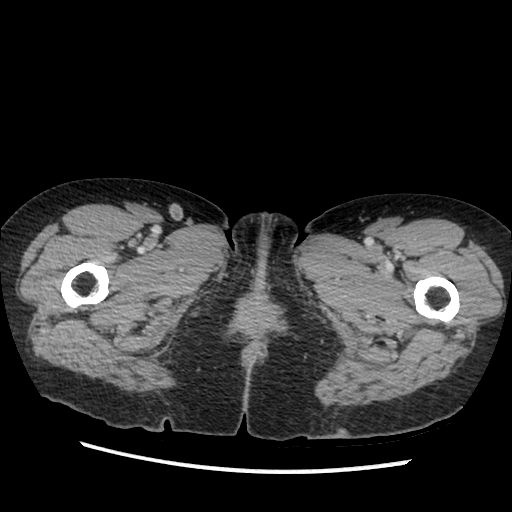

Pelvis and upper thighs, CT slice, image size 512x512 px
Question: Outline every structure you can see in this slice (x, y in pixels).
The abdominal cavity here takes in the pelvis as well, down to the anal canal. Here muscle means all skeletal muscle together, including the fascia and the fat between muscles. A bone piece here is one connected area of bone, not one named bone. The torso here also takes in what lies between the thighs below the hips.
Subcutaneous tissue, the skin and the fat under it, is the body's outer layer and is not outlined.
Answer: {"torso":[[[260,210],[277,211],[290,216],[298,227],[296,241],[298,244],[292,257],[272,271],[267,280],[265,292],[276,308],[277,323],[263,340],[256,364],[249,372],[249,340],[238,323],[238,305],[252,293],[253,278],[232,242],[229,224],[231,226],[243,214]]],"abdominal_cavity":[[[256,341],[258,341],[260,342],[262,346],[264,348],[264,355],[263,357],[261,358],[261,359],[260,359],[258,361],[256,361],[255,363],[248,363],[244,361],[244,358],[243,357],[243,350],[245,348],[247,344],[251,342],[255,342]]],"bones":[[[84,261],[88,261],[89,262],[96,263],[98,265],[101,265],[103,267],[106,268],[108,277],[109,278],[109,284],[108,285],[109,293],[102,301],[96,304],[82,304],[76,308],[72,308],[66,304],[61,295],[60,292],[61,281],[65,273],[70,268]],[[437,274],[440,274],[444,276],[452,282],[458,290],[459,293],[460,306],[457,313],[449,323],[445,323],[440,320],[434,318],[428,318],[419,314],[415,310],[415,304],[413,298],[413,291],[416,282],[418,280],[424,278],[428,275],[436,275]]],"left_leg":[[[386,193],[456,198],[483,209],[510,230],[511,280],[505,313],[477,384],[454,415],[404,433],[365,438],[297,437],[283,441],[250,435],[245,419],[249,373],[257,364],[264,340],[278,323],[277,308],[266,292],[271,273],[293,257],[309,221],[338,204]]],"muscle":[{"outer":[[104,199],[157,202],[183,225],[211,224],[221,233],[228,253],[226,271],[217,289],[189,316],[175,340],[175,364],[171,367],[179,383],[163,389],[161,394],[128,393],[110,383],[35,359],[24,350],[30,312],[15,293],[22,252],[59,211],[74,203]],"hole":[[84,261],[88,261],[89,262],[96,263],[98,265],[101,265],[103,267],[106,268],[108,277],[109,278],[109,284],[108,285],[109,293],[102,301],[96,304],[82,304],[76,308],[72,308],[66,304],[61,295],[60,292],[61,281],[65,273],[70,268]]},{"outer":[[414,212],[452,215],[476,235],[503,277],[501,313],[479,327],[471,353],[449,376],[400,398],[325,409],[314,396],[313,387],[330,365],[328,362],[336,357],[340,345],[336,333],[301,290],[292,262],[293,255],[312,235],[348,233],[366,227],[380,217]],"hole":[[437,274],[440,274],[444,276],[452,282],[458,290],[459,293],[460,306],[457,313],[449,323],[445,323],[440,320],[434,318],[428,318],[419,314],[415,310],[415,304],[413,298],[413,291],[416,282],[418,280],[424,278],[428,275],[436,275]]},[[249,340],[263,340],[269,343],[267,346],[267,349],[268,350],[268,356],[265,359],[264,362],[262,364],[259,364],[258,363],[256,363],[256,362],[258,362],[260,360],[261,360],[265,355],[265,348],[263,346],[262,343],[258,340],[256,340],[255,341],[251,341],[247,343],[242,350],[242,357],[243,358],[243,361],[248,364],[253,364],[252,365],[244,365],[241,363],[241,351],[242,350],[242,347],[243,346],[242,345]]],"right_leg":[[[98,177],[141,178],[175,185],[206,198],[226,214],[226,238],[252,278],[251,293],[237,305],[237,323],[248,340],[248,386],[244,417],[235,435],[174,432],[168,421],[159,432],[111,427],[42,396],[30,377],[4,303],[1,227],[39,192],[63,182]]]}